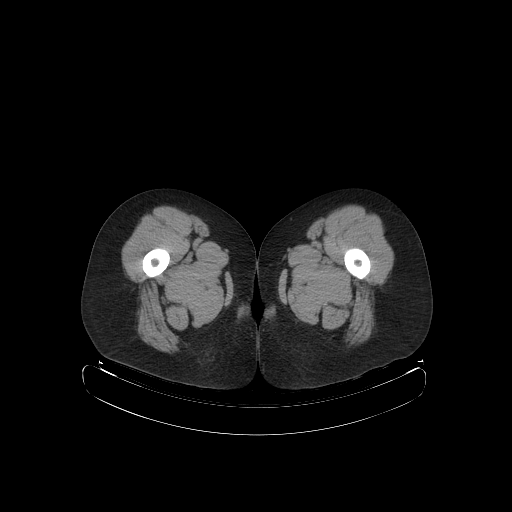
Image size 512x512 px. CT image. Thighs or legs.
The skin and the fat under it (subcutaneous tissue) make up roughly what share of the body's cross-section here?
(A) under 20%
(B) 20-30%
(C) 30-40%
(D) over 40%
(D) over 40%
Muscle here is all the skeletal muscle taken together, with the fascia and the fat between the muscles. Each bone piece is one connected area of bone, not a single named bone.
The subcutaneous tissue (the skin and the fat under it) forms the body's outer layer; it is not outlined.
The left leg is outlined by [[349,186],[366,187],[386,195],[416,229],[424,249],[432,288],[433,313],[429,331],[411,355],[383,368],[372,369],[358,378],[309,390],[287,391],[273,387],[262,378],[259,370],[257,323],[263,311],[257,283],[260,245],[270,228],[299,205],[324,192]]. The muscle appears in 2 outlined pieces: piece 1: [[351,203],[359,204],[381,218],[389,244],[394,252],[394,263],[386,282],[375,294],[376,331],[364,343],[346,348],[328,341],[326,338],[317,335],[296,322],[281,304],[275,278],[287,242],[295,237],[300,230],[309,226],[333,207],[339,204]] with a hole at [[353,247],[357,247],[358,248],[360,248],[362,249],[367,254],[370,260],[370,270],[368,274],[364,278],[362,279],[359,279],[355,277],[353,275],[352,275],[347,270],[344,264],[344,253],[345,251],[349,248],[352,248]]; piece 2: [[159,205],[171,205],[182,208],[200,217],[220,243],[229,248],[232,256],[230,269],[233,273],[233,296],[230,304],[218,319],[203,329],[180,352],[172,355],[159,351],[143,342],[134,329],[137,293],[125,275],[121,263],[121,248],[140,218],[149,210]]; inner edge: [[156,247],[160,247],[161,248],[164,248],[166,250],[167,250],[167,251],[169,253],[169,257],[170,258],[170,260],[169,261],[169,263],[167,267],[159,275],[157,276],[155,276],[154,277],[148,277],[142,269],[142,263],[141,261],[144,255],[148,251]]. The bones appear in 2 outlined pieces: piece 1: [[353,247],[357,247],[358,248],[360,248],[362,249],[367,254],[370,260],[370,270],[368,274],[364,278],[362,279],[359,279],[355,277],[353,275],[352,275],[347,270],[344,264],[344,253],[345,251],[349,248],[352,248]]; piece 2: [[156,247],[160,247],[161,248],[164,248],[166,250],[167,250],[167,251],[169,253],[169,257],[170,258],[170,260],[169,261],[169,263],[167,267],[159,275],[157,276],[155,276],[154,277],[148,277],[142,269],[142,263],[141,261],[144,255],[148,251]]. The right leg is outlined by [[159,187],[183,189],[209,200],[232,215],[254,244],[257,277],[254,280],[251,307],[256,322],[259,365],[253,380],[244,387],[233,391],[202,389],[162,380],[110,361],[96,350],[83,326],[80,314],[81,290],[91,248],[100,227],[123,201],[141,191]].